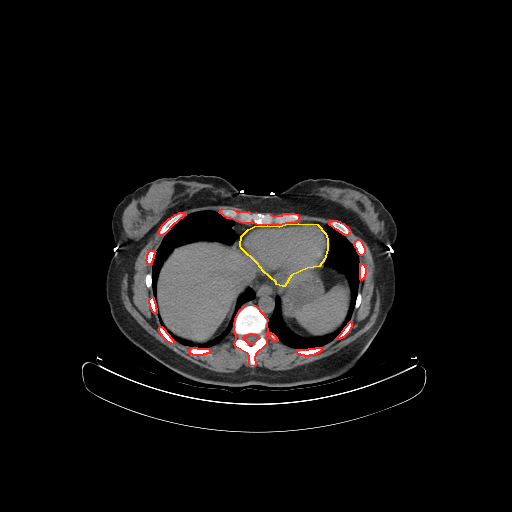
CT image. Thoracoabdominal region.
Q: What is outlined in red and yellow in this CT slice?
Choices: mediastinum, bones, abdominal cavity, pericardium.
A: red: bones; yellow: pericardium.
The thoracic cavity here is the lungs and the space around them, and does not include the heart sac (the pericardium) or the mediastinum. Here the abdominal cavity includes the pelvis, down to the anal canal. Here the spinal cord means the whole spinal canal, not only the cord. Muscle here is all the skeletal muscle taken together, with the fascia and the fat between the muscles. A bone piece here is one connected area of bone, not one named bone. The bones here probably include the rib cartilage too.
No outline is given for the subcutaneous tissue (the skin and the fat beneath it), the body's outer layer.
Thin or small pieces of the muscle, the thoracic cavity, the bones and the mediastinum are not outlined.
The bones appear in 13 outlined pieces: piece 1: 251,304 256,306 267,319 266,325 267,330 265,337 266,338 266,344 255,354 254,356 255,365 254,366 249,365 249,356 247,353 236,347 234,344 236,339 236,335 234,332 234,323 236,316 240,309 246,305 with a hole at 251,333 252,334 256,334 258,336 258,338 252,344 249,344 243,338 243,337 244,336 244,335 246,335 247,334 250,334; piece 2: 222,208 233,209 238,212 248,211 251,213 256,212 269,213 273,216 282,215 283,213 294,213 297,214 299,218 296,222 293,223 285,223 279,225 277,224 258,225 254,223 243,223 230,218 227,218 219,212; piece 3: 179,212 184,212 185,213 185,215 184,215 181,218 180,218 175,223 174,223 169,228 169,229 163,235 159,235 159,230 160,229 160,228 161,227 161,226 169,218 170,218 172,216 173,216 175,214 176,214; piece 4: 331,220 336,220 337,221 339,221 340,222 343,223 346,226 347,226 347,227 349,229 350,232 347,235 345,235 344,234 343,234 341,232 340,232 338,230 337,230 329,224 329,222; piece 5: 316,347 321,347 322,348 322,349 319,352 318,352 317,353 316,353 315,354 314,354 313,355 309,355 308,356 305,356 304,355 301,355 300,354 298,354 296,352 296,351 298,349 308,349 309,348 315,348; piece 6: 192,347 196,347 197,348 208,348 209,349 209,350 210,351 210,353 206,353 205,354 203,354 202,355 193,355 192,354 191,354 189,352 189,350; piece 7: 160,326 161,326 165,330 165,331 169,335 169,336 174,341 174,343 173,343 172,344 171,343 170,343 169,342 168,342 162,336 162,335 160,333 160,332 159,331 159,330 158,329 159,328 159,327; piece 8: 357,239 358,239 361,241 361,242 362,243 362,244 364,247 364,253 361,255 360,255 358,253 358,252 357,251 357,249 355,247 355,246 354,245 354,243 355,242 355,241; piece 9: 350,321 351,321 351,323 352,324 351,325 351,327 350,328 350,329 349,330 349,331 343,337 342,337 341,338 340,338 339,339 335,339 342,332 342,331 344,329 344,328 348,324 348,323; piece 10: 150,250 154,250 155,251 154,252 154,254 153,255 153,258 152,259 152,261 151,262 151,264 148,264 147,263 147,262 146,261 146,259 147,258 147,254 148,253 148,252; piece 11: 152,296 153,297 153,299 154,300 154,302 155,303 155,307 156,308 156,313 154,313 152,311 152,310 151,309 151,308 150,307 150,304 149,303 149,299; piece 12: 360,263 362,263 364,265 364,266 365,267 365,274 364,275 364,277 363,278 363,279 362,279 361,280 360,279; piece 13: 269,332 270,332 271,333 272,333 273,334 274,335 275,336 276,337 276,338 277,339 277,340 276,341 275,341 274,341 273,340 272,339 271,339 270,338 269,337 269,336 269,335 269,334 269,333. The pericardium is outlined by 298,223 317,224 325,233 327,239 327,249 324,259 319,266 307,268 291,275 284,286 282,286 276,284 276,282 263,271 257,263 241,248 240,245 241,236 248,229 254,226 267,225 279,226 285,224. The thoracic cavity appears in 3 outlined pieces: piece 1: 327,224 344,235 359,255 359,283 354,308 347,324 332,340 321,346 291,347 267,328 276,297 280,300 280,312 285,325 304,338 334,332 342,325 350,307 348,279 339,269 325,265 330,249 330,237 324,228; piece 2: 202,210 213,210 218,212 223,217 233,220 234,223 231,228 236,235 234,242 228,244 215,240 196,240 183,243 174,247 159,268 155,286 155,302 152,290 152,262 155,252 159,247 163,236 174,224 184,216; piece 3: 247,288 251,288 253,290 254,297 240,306 235,316 233,328 231,331 218,343 210,347 184,345 174,340 161,325 160,322 161,321 163,325 172,334 194,344 213,340 219,336 228,326 236,307 236,302 239,296. The torso is outlined by 193,173 220,176 240,192 263,196 308,178 341,179 382,202 397,228 395,241 387,247 394,264 395,297 354,367 339,377 294,387 222,386 176,373 120,331 106,299 107,269 117,246 113,212 127,194 146,182. The muscle appears in 4 outlined pieces: piece 1: 160,226 158,235 162,238 158,247 155,250 150,249 146,254 145,261 151,265 151,271 144,277 146,287 152,291 148,303 151,311 157,314 160,323 157,329 159,333 168,343 172,345 175,341 191,347 188,350 191,355 202,356 210,354 209,348 218,344 233,329 233,344 246,353 249,367 233,372 218,372 202,367 161,343 125,308 121,298 123,277; piece 2: 350,229 367,244 375,266 380,309 374,324 352,342 320,359 285,370 256,368 255,356 267,344 267,331 271,340 274,342 278,340 297,349 295,352 305,357 319,353 323,349 322,346 334,339 343,338 350,331 353,311 362,301 362,294 359,291 360,280 363,280 366,274 366,267 359,260 365,253 365,247 358,238 353,243 348,239 346,236 351,232; piece 3: 201,206 235,206 236,207 239,207 240,208 247,208 248,209 251,209 255,211 255,212 251,212 248,210 242,210 241,211 238,211 233,208 227,208 226,207 222,207 218,211 214,210 213,209 202,209 201,210 197,210 196,211 194,211 193,212 191,212 190,213 186,214 186,213 184,211 182,211 186,209 188,209 189,208 192,208 193,207 200,207; piece 4: 298,214 303,214 304,215 309,215 310,216 315,216 316,217 322,217 323,218 329,218 330,219 332,219 331,219 328,222 328,223 324,223 319,221 312,221 311,220 303,220 302,221 298,221 300,218. The spinal cord is outlined by 251,333 252,334 256,334 258,336 258,338 252,344 249,344 243,338 243,337 244,336 244,335 246,335 247,334 250,334. The abdominal cavity appears in 2 outlined pieces: piece 1: 196,241 215,241 230,245 231,247 238,246 257,265 257,277 251,287 247,287 238,296 225,329 213,339 198,343 194,343 172,333 162,321 160,321 158,317 158,309 156,307 156,286 162,264 174,248; piece 2: 324,266 335,268 339,270 347,279 350,288 349,307 345,318 341,325 334,331 325,335 314,336 313,337 304,337 296,334 284,322 281,312 281,300 280,297 282,296 284,287 291,276 307,269 322,268. The mediastinum appears in 3 outlined pieces: piece 1: 258,266 263,272 275,282 276,285 279,285 283,287 281,296 276,296 275,297 275,305 273,311 268,319 260,309 254,304 251,303 246,304 240,308 243,304 252,300 255,297 255,292 252,288 252,285 258,277; piece 2: 235,221 236,222 239,222 243,224 254,224 255,225 257,225 251,226 240,236 240,240 239,241 239,245 240,247 238,245 233,245 231,246 231,245 235,242 236,238 237,237 236,232 232,228 233,225 235,223; piece 3: 303,221 319,222 326,224 323,226 323,228 326,231 329,237 329,249 328,250 328,254 325,259 325,263 322,267 318,267 323,263 328,249 328,239 326,233 317,223 311,223 310,222 298,222 294,223 302,222.